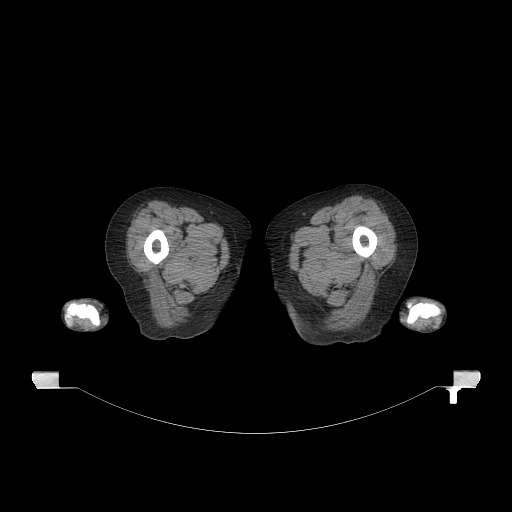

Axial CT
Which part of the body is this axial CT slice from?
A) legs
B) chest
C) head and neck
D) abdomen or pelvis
A) legs
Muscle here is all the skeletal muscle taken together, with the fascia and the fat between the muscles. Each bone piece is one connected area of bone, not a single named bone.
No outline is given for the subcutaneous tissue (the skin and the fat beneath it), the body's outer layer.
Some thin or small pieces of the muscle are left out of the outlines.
Outlines:
muscle 1: 356,194 373,198 387,214 396,233 396,257 394,262 381,276 370,311 360,326 349,331 324,330 321,328 321,319 324,314 302,293 295,275 288,265 288,254 291,243 290,234 297,228 303,226 318,209, around a hole outlined by 358,225 363,225 364,226 366,226 370,228 374,231 377,237 377,244 376,245 376,247 374,251 368,257 363,257 359,255 353,249 353,247 352,246 352,234 353,233 353,231 354,229 356,227 356,226
muscle 2: 154,199 178,202 205,214 211,219 217,220 224,229 224,235 229,245 228,264 207,297 197,308 194,317 190,321 169,328 158,327 154,323 151,316 149,295 141,278 129,265 125,251 126,232 134,212 141,204 with a hole at 154,229 161,229 164,232 167,238 167,241 168,242 168,245 169,246 169,251 168,252 167,256 157,264 155,264 151,261 150,261 145,255 144,251 143,250 143,244 144,243 145,238 147,236 147,235 152,230
muscle 3: 419,318 422,318 423,319 428,319 429,318 435,318 434,319 434,321 433,322 433,327 431,327 430,328 429,328 428,327 426,327 425,328 416,328 415,327 412,327 411,326 410,326 410,325 412,325
muscle 4: 74,317 77,317 78,318 79,318 80,319 88,319 89,320 89,321 95,327 94,328 84,328 83,327 80,327 79,326 74,326 73,325 74,324 74,319 73,318
muscle 5: 82,300 89,300 90,301 93,301 102,306 102,311 105,315 105,321 102,324 102,323 101,322 101,318 100,317 100,312 99,311 98,308 95,305 94,305 91,303 85,303 84,302 77,302 77,301 81,301
muscle 6: 436,303 437,303 439,305 440,305 441,306 441,307 443,309 443,310 444,311 443,312 443,315 442,316 442,318 440,316 440,315 442,313 442,309
right arm: 77,297 93,297 99,300 101,300 104,302 106,304 110,314 109,323 103,329 99,331 86,331 85,332 78,332 77,331 72,331 68,329 61,321 61,319 60,318 60,311 63,304 66,301 69,299 76,298
left arm: 412,295 424,295 425,296 432,297 440,300 445,305 445,307 447,311 447,319 444,325 436,331 431,333 421,333 417,331 408,330 400,325 398,321 398,315 397,314 397,310 396,308 399,303 400,303 407,297
left leg: 354,182 380,186 391,192 403,203 410,213 417,231 418,250 416,261 395,311 381,334 364,343 340,342 328,346 309,344 299,336 273,290 269,260 264,245 266,228 273,216 291,203 315,192 326,190 340,184
right leg: 154,186 185,188 222,200 237,208 245,215 251,225 251,241 245,254 235,290 227,307 210,329 187,339 169,337 163,340 152,340 141,335 137,324 128,311 123,292 111,275 106,263 105,233 113,213 130,195
bones 1: 154,229 161,229 164,232 167,238 167,241 168,242 168,245 169,246 169,251 168,252 167,256 157,264 155,264 151,261 150,261 145,255 144,251 143,250 143,244 144,243 145,238 147,236 147,235 152,230
bones 2: 409,301 412,301 414,303 419,301 435,303 441,309 441,313 439,315 441,321 439,325 437,327 434,327 434,322 436,318 435,317 428,318 419,317 412,324 409,325 402,322 401,318 405,318 408,314 406,304
bones 3: 358,225 363,225 364,226 366,226 370,228 374,231 377,237 377,244 376,245 376,247 374,251 368,257 363,257 359,255 353,249 353,247 352,246 352,234 353,233 353,231 354,229 356,227 356,226
bones 4: 71,302 84,303 85,304 91,304 95,306 99,312 99,317 100,318 100,322 101,324 99,326 96,327 88,318 80,318 77,316 74,316 72,318 73,319 73,324 71,326 67,325 64,319 64,314 68,304